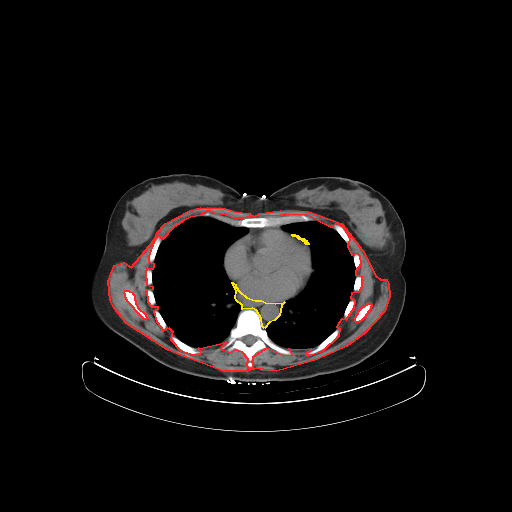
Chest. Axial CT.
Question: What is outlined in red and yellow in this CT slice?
Answer: red: muscle; yellow: mediastinum.
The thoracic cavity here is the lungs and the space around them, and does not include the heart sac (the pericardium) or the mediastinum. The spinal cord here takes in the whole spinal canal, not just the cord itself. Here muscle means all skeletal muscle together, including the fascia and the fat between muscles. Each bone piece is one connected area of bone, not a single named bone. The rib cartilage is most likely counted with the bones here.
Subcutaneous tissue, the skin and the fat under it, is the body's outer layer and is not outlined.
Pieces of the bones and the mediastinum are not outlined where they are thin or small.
{"muscle":[{"outer":[[280,210],[308,211],[341,223],[362,250],[375,275],[380,279],[386,279],[388,283],[389,296],[384,311],[364,333],[346,346],[317,359],[276,371],[257,368],[247,371],[223,371],[168,350],[126,323],[114,308],[110,300],[108,281],[114,265],[123,262],[131,267],[154,239],[148,256],[148,261],[153,263],[153,267],[152,269],[147,268],[145,271],[146,284],[152,286],[152,289],[146,290],[147,301],[151,306],[157,306],[157,309],[153,311],[156,321],[163,330],[168,327],[172,331],[170,339],[180,350],[197,355],[201,352],[198,348],[225,342],[220,348],[229,352],[235,349],[241,351],[247,358],[246,365],[249,368],[253,367],[253,356],[267,347],[283,355],[292,354],[289,348],[311,349],[306,353],[308,355],[323,350],[339,335],[340,329],[337,327],[339,322],[342,318],[346,319],[354,307],[355,301],[351,298],[352,292],[359,291],[362,286],[362,277],[356,275],[356,270],[361,263],[360,256],[357,253],[352,255],[348,247],[350,238],[344,228],[337,223],[330,227],[305,214],[255,216],[259,213]],"holes":[[[125,290],[128,290],[129,291],[132,292],[132,293],[134,295],[134,299],[135,300],[135,303],[136,304],[137,307],[145,314],[145,315],[147,318],[146,319],[143,319],[143,318],[134,309],[134,308],[127,301],[127,300],[125,297],[125,294],[124,293]],[[368,303],[370,303],[371,304],[371,306],[370,307],[369,310],[367,312],[367,313],[365,315],[365,316],[360,321],[359,321],[358,322],[356,322],[355,321],[355,317],[356,316],[356,315],[358,313],[359,310],[363,306],[364,306],[366,304],[367,304]]]},[[200,207],[225,208],[234,211],[249,213],[253,216],[249,216],[243,218],[234,218],[226,215],[214,213],[210,211],[206,211],[203,212],[200,215],[190,217],[182,221],[172,228],[162,239],[160,236],[157,236],[155,238],[157,232],[165,223],[189,210]]],"mediastinum":[[[232,282],[235,284],[235,286],[239,291],[246,297],[255,300],[261,300],[265,302],[275,303],[284,302],[281,305],[279,315],[274,320],[269,322],[264,328],[262,326],[261,318],[256,310],[252,308],[242,309],[242,305],[236,300],[235,297],[236,291]],[[292,234],[294,234],[295,235],[297,235],[298,236],[303,238],[305,240],[306,240],[306,241],[308,243],[308,244],[306,244],[305,243],[305,242],[304,241],[303,241],[301,239],[299,239],[298,238],[293,236],[292,235]]],"thoracic_cavity":[[[198,216],[209,217],[234,227],[247,228],[245,234],[227,247],[221,262],[227,277],[233,285],[234,297],[241,305],[241,309],[237,314],[235,325],[231,328],[226,340],[203,347],[187,344],[174,334],[158,309],[152,285],[152,270],[162,240],[176,226]],[[309,221],[321,222],[332,228],[342,238],[352,256],[355,277],[350,299],[336,328],[312,348],[287,348],[274,342],[269,337],[265,328],[280,315],[282,305],[287,300],[296,297],[305,288],[314,272],[314,266],[311,246],[307,240],[282,229],[282,225]]],"spinal_cord":[[[246,335],[252,335],[253,336],[254,336],[256,338],[256,339],[255,340],[255,341],[253,343],[252,343],[250,345],[248,345],[247,344],[246,344],[242,340],[242,338],[244,336],[245,336]]],"pericardium":[[[263,228],[280,229],[289,232],[293,237],[308,245],[307,247],[309,248],[308,254],[310,256],[310,265],[312,271],[306,281],[307,283],[297,295],[282,302],[265,301],[246,296],[228,277],[223,267],[222,262],[225,252],[231,244],[247,235],[249,232]]],"bones":[{"outer":[[244,309],[256,311],[261,326],[265,329],[268,337],[277,345],[291,351],[291,354],[279,353],[267,346],[258,350],[252,356],[252,367],[249,367],[247,365],[248,358],[241,350],[235,348],[229,351],[226,348],[221,348],[232,328],[236,325],[238,314]],"hole":[[246,335],[252,335],[253,336],[254,336],[256,338],[256,339],[255,340],[255,341],[253,343],[252,343],[250,345],[248,345],[247,344],[246,344],[242,340],[242,338],[244,336],[245,336]]},[[206,212],[210,212],[214,214],[218,214],[234,219],[243,219],[249,217],[277,217],[278,216],[286,216],[287,215],[305,215],[310,217],[312,220],[290,222],[277,226],[246,227],[245,226],[234,226],[226,222],[218,220],[209,216],[203,216],[201,215]],[[337,328],[338,328],[339,329],[339,333],[338,334],[338,335],[335,338],[335,339],[332,342],[331,342],[323,349],[322,349],[313,354],[308,354],[307,353],[310,350],[311,350],[313,348],[314,348],[316,346],[317,346],[329,335],[330,335]],[[172,335],[174,335],[178,339],[179,339],[182,342],[185,343],[187,345],[189,345],[192,347],[197,348],[199,350],[200,350],[200,352],[197,354],[192,354],[191,353],[186,352],[185,351],[180,349],[173,342],[173,341],[171,339],[171,336]],[[125,290],[128,290],[129,291],[132,292],[132,293],[134,295],[134,299],[135,300],[135,303],[136,304],[137,307],[145,314],[145,315],[147,318],[146,319],[143,319],[143,318],[134,309],[134,308],[127,301],[127,300],[125,297],[125,294],[124,293]],[[157,237],[160,237],[161,238],[161,241],[160,242],[160,244],[157,249],[157,251],[155,254],[155,257],[154,258],[154,260],[153,261],[153,262],[150,262],[149,261],[149,256],[150,255],[151,248],[152,247],[152,245],[153,244],[155,239]],[[368,303],[370,303],[371,304],[371,306],[370,307],[369,310],[367,312],[367,313],[365,315],[365,316],[360,321],[359,321],[358,322],[356,322],[355,321],[355,317],[356,316],[356,315],[358,313],[359,310],[363,306],[364,306],[366,304],[367,304]],[[335,224],[337,224],[338,225],[339,225],[340,226],[341,226],[343,228],[343,229],[346,232],[346,233],[347,234],[347,235],[348,236],[348,237],[349,238],[349,243],[348,244],[347,244],[347,243],[343,239],[343,238],[333,228],[333,226]],[[155,310],[158,310],[159,313],[161,315],[162,318],[164,320],[164,321],[165,322],[165,323],[167,326],[166,329],[163,329],[161,327],[161,326],[157,321],[157,320],[156,319],[156,317],[154,314],[154,311]],[[351,299],[352,299],[354,301],[354,304],[353,305],[353,307],[352,308],[352,309],[351,310],[351,312],[349,314],[349,315],[346,318],[344,318],[343,317],[343,315],[344,314],[344,312],[345,311],[345,309],[346,308],[346,307],[347,306],[349,301]],[[358,275],[359,276],[360,276],[361,277],[361,286],[360,287],[360,288],[359,289],[359,290],[358,290],[357,291],[354,291],[353,290],[353,287],[354,286],[354,282],[355,281],[355,278],[356,277],[356,276],[357,276]],[[148,289],[151,289],[152,290],[152,291],[153,292],[153,295],[154,296],[154,298],[155,299],[155,304],[154,305],[151,305],[149,303],[149,302],[148,301],[148,297],[147,296],[147,290]]],"torso":[[[172,173],[207,175],[242,194],[260,197],[293,181],[317,176],[346,177],[380,191],[398,213],[406,240],[402,264],[405,302],[385,343],[360,363],[337,372],[291,381],[249,383],[174,370],[108,329],[94,313],[89,291],[104,249],[110,214],[133,185]]]}